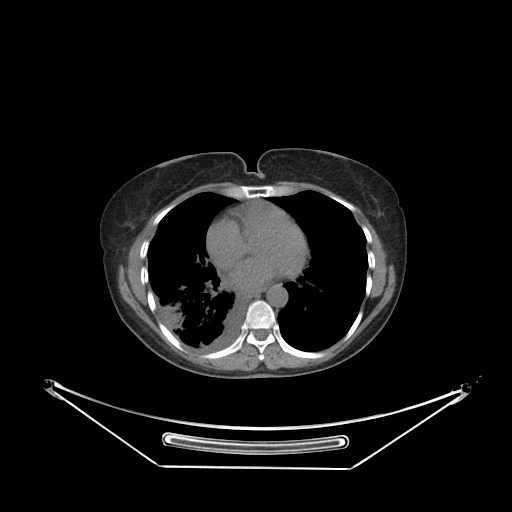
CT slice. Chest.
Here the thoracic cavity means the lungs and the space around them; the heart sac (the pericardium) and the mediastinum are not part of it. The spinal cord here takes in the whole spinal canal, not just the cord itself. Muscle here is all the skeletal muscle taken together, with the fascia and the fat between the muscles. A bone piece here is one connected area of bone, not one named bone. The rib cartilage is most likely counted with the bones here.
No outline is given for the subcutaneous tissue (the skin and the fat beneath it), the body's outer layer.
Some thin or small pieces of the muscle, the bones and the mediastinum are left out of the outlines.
The spinal cord is outlined by 257,329 265,329 267,331 267,335 266,336 266,337 265,338 264,338 263,339 258,339 254,335 254,330 256,330. The torso is outlined by 282,147 344,155 375,169 394,187 404,211 408,241 406,272 395,308 367,346 321,371 231,379 179,368 146,347 115,310 102,264 102,211 122,184 160,162 199,152 233,151 243,158 249,171 255,171 264,151. The pericardium is outlined by 254,199 263,199 272,202 281,207 295,219 307,237 311,252 311,257 306,267 294,279 283,279 273,281 257,287 235,289 230,287 226,280 218,274 216,268 208,259 205,243 206,234 212,221 226,209 242,202. The muscle appears in 2 outlined pieces: piece 1: 226,181 241,184 226,186 221,193 198,192 178,204 172,203 162,209 151,222 156,228 150,241 144,239 140,245 139,257 147,259 147,266 143,265 140,268 140,282 143,285 150,285 146,300 150,311 157,311 161,320 157,323 160,331 180,351 185,351 183,344 201,354 200,357 203,359 227,356 237,352 247,343 257,348 257,358 262,361 266,347 275,342 283,352 298,358 323,357 326,353 322,350 339,340 346,341 354,333 364,314 360,309 362,301 365,296 370,295 372,288 372,276 367,270 376,266 376,259 373,251 367,250 366,247 367,243 372,242 372,235 366,225 357,222 353,213 356,210 355,205 360,208 378,235 387,256 387,263 394,266 396,282 390,300 379,313 342,351 329,360 316,365 293,368 269,369 260,365 250,371 205,368 168,350 122,298 117,281 118,267 120,264 126,264 128,252 149,218 192,188 206,183; piece 2: 276,181 296,181 297,182 312,183 321,187 323,187 346,200 339,197 335,194 325,195 323,193 311,189 306,189 305,190 301,190 296,192 296,189 292,185 287,185 286,184 280,184 279,185 267,184 272,184. The thoracic cavity appears in 2 outlined pieces: piece 1: 306,190 323,194 347,208 360,226 366,241 365,289 359,310 345,334 335,343 318,351 296,348 287,342 281,333 277,316 287,305 290,296 284,284 296,282 310,265 313,255 308,237 296,219 281,206 267,199; piece 2: 202,192 213,192 235,199 213,216 206,230 204,243 206,260 215,268 216,275 227,284 234,299 241,298 246,307 236,338 229,345 207,353 190,349 162,322 149,282 147,258 150,242 160,221 177,205. The mediastinum appears in 2 outlined pieces: piece 1: 298,277 296,281 287,281 283,284 289,296 286,305 278,312 277,315 273,308 265,300 256,299 252,301 247,307 241,297 235,299 235,294 228,289 229,286 230,288 235,290 257,288 273,282 283,280 294,280; piece 2: 236,199 238,200 239,199 253,199 248,199 245,201 242,201 237,204 232,205 226,208 223,211 222,211 219,214 218,214 213,219 214,216 215,216 216,214 218,213 218,212 219,212 226,206 234,203. The bones appear in 9 outlined pieces: piece 1: 256,300 263,300 272,308 282,337 292,347 306,352 323,351 325,354 318,358 298,357 283,351 275,341 265,347 262,360 258,358 258,348 247,342 237,351 218,358 201,357 202,354 229,346 237,338 247,308 with a hole at 257,329 265,329 267,331 267,335 266,336 266,337 265,338 264,338 263,339 258,339 254,335 254,330 256,330; piece 2: 237,185 255,185 256,186 258,185 274,185 275,186 286,185 287,186 292,186 295,189 295,192 288,195 282,195 281,196 239,198 238,199 224,195 222,193 222,190 224,188 230,186 236,186; piece 3: 159,322 161,322 171,332 171,333 178,340 179,340 181,342 181,345 183,347 183,348 184,349 184,351 183,351 182,350 180,350 178,348 177,348 165,337 165,336 161,331 161,330 158,325 158,323; piece 4: 360,310 362,310 362,311 363,312 363,314 362,315 362,317 361,318 361,319 360,320 357,327 354,330 353,333 346,340 345,340 344,341 341,341 341,339 346,334 346,333 352,325 353,322 355,320 355,319; piece 5: 172,204 175,204 176,205 173,208 172,208 159,221 159,222 157,224 157,225 153,225 152,224 152,222 153,221 153,220 155,218 155,217 162,210 163,210 165,208 166,208 168,206 169,206 170,205 171,205; piece 6: 329,195 335,195 336,196 337,196 339,198 340,198 345,201 347,201 349,203 352,204 355,207 355,210 353,212 352,212 347,207 346,207 341,203 340,203 339,202 332,199 330,197 329,197 328,196; piece 7: 149,290 151,290 153,292 153,294 154,295 154,299 155,300 155,305 156,306 156,308 155,309 155,310 154,311 154,312 152,312 151,311 151,310 149,307 149,305 148,304 148,301 147,300 147,293; piece 8: 367,274 369,274 371,276 371,288 370,289 370,291 369,292 369,295 368,296 366,296 365,295 365,290 366,289 366,276 367,275; piece 9: 362,225 364,225 365,226 366,226 366,227 368,229 368,230 369,231 369,232 371,235 371,242 370,243 368,243 366,240 366,237 365,236 365,234 364,233 364,232 363,231 363,230 361,227 361,226.